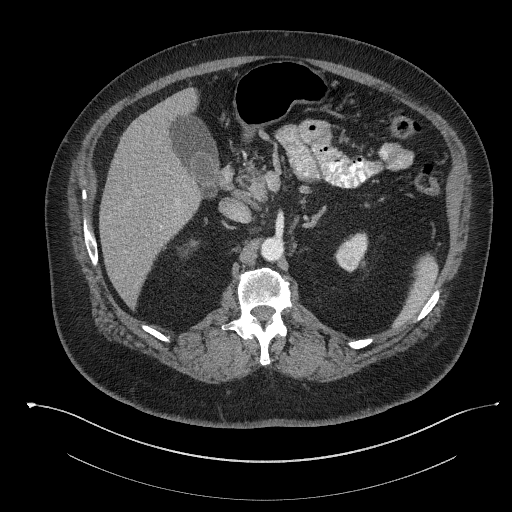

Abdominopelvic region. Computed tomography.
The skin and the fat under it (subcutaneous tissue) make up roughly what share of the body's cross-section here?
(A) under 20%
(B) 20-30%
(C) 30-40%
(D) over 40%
(B) 20-30%
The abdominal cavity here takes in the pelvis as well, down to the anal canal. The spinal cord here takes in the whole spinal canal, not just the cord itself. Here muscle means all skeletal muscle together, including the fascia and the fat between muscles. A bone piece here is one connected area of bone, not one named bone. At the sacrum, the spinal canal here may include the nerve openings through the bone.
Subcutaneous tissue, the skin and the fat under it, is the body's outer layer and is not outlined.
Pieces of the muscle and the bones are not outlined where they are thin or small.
muscle: [[208,384],[218,384],[222,382],[230,381],[235,378],[241,378],[252,373],[261,367],[275,370],[284,375],[296,379],[305,378],[311,381],[330,382],[353,374],[372,363],[381,359],[396,355],[399,352],[408,349],[420,340],[425,338],[433,330],[434,326],[441,318],[441,312],[445,305],[452,279],[458,270],[462,259],[462,254],[467,244],[469,221],[471,214],[470,209],[472,200],[471,174],[468,168],[465,147],[453,128],[437,112],[432,110],[426,105],[420,104],[406,93],[389,83],[363,71],[330,61],[314,59],[308,57],[278,54],[277,55],[243,55],[226,57],[221,59],[215,59],[202,62],[176,70],[172,73],[162,76],[150,82],[133,94],[126,96],[117,101],[96,119],[86,133],[76,156],[72,160],[66,190],[67,198],[66,211],[69,218],[69,230],[71,234],[71,244],[74,257],[80,265],[81,271],[89,287],[91,314],[94,320],[94,323],[98,328],[98,331],[108,340],[118,342],[131,349],[135,349],[142,353],[147,354],[157,359],[161,363],[163,363],[181,373],[186,374],[198,381]]; inner edges: [[262,365],[270,362],[271,339],[288,331],[282,311],[292,303],[284,275],[296,280],[306,308],[359,349],[372,342],[372,335],[419,321],[432,309],[449,243],[443,190],[453,165],[435,126],[387,93],[307,62],[280,58],[179,80],[121,110],[94,146],[94,230],[82,218],[92,265],[100,264],[117,303],[162,341],[170,338],[152,325],[187,330],[219,307],[222,290],[235,276],[240,315],[221,328],[244,339],[255,336]], then [[83,200],[86,200],[86,199],[87,198],[87,193],[86,192],[86,190],[84,188],[83,188],[81,190],[81,196],[82,197],[82,199]]
torso: [[239,429],[334,425],[381,413],[419,397],[441,380],[469,337],[492,232],[487,154],[464,109],[436,79],[374,44],[290,29],[228,31],[174,44],[134,63],[102,87],[72,122],[50,165],[44,229],[51,308],[71,363],[96,388],[142,412],[191,425]]
abdominal cavity: [[350,339],[413,319],[444,263],[449,229],[443,190],[453,165],[429,120],[373,87],[276,58],[179,80],[110,121],[92,156],[93,224],[102,274],[125,311],[158,327],[187,330],[219,307],[233,276],[237,283],[244,270],[268,266],[295,279],[300,302]]
bones 1: [[262,365],[270,362],[268,346],[271,339],[276,335],[283,337],[287,334],[288,329],[283,321],[282,311],[292,306],[289,281],[268,267],[246,270],[238,276],[236,293],[240,315],[221,326],[222,329],[234,330],[244,339],[255,336],[260,344],[259,361]]; inner edge: [[261,323],[264,323],[266,321],[267,321],[270,319],[270,317],[274,311],[274,310],[271,307],[270,307],[269,306],[257,306],[256,307],[255,307],[252,309],[252,310],[251,311],[251,312],[252,313],[252,314],[253,315],[254,315],[258,319],[258,320]]
bones 2: [[93,266],[96,266],[98,262],[98,257],[97,256],[97,244],[96,243],[96,240],[95,239],[94,233],[93,231],[90,229],[86,216],[84,214],[82,218],[84,240],[85,241],[85,245],[87,249],[87,252],[88,253],[90,261]]
bones 3: [[414,322],[419,321],[422,318],[423,318],[432,309],[432,308],[435,305],[439,298],[439,295],[440,294],[440,290],[438,288],[436,288],[433,291],[430,297],[427,300],[427,301],[423,306],[422,309],[419,312],[419,313],[416,316],[416,317],[414,318]]
bones 4: [[165,342],[169,342],[170,341],[170,338],[168,336],[165,335],[163,333],[160,332],[158,330],[155,329],[153,327],[149,325],[147,325],[144,323],[142,323],[141,324],[141,327],[145,331],[148,332],[150,334],[156,337],[158,339],[162,341],[164,341]]
bones 5: [[355,349],[359,349],[360,348],[362,348],[368,345],[372,342],[373,340],[373,338],[372,337],[367,337],[366,338],[362,338],[361,339],[357,339],[356,340],[351,340],[350,341],[348,341],[347,342],[347,344],[350,347],[352,348],[354,348]]
spinal cord: [[261,323],[264,323],[266,321],[267,321],[270,319],[270,317],[274,311],[274,310],[271,307],[270,307],[269,306],[257,306],[256,307],[255,307],[252,309],[252,310],[251,311],[251,312],[252,313],[252,314],[253,315],[254,315],[258,319],[258,320]]